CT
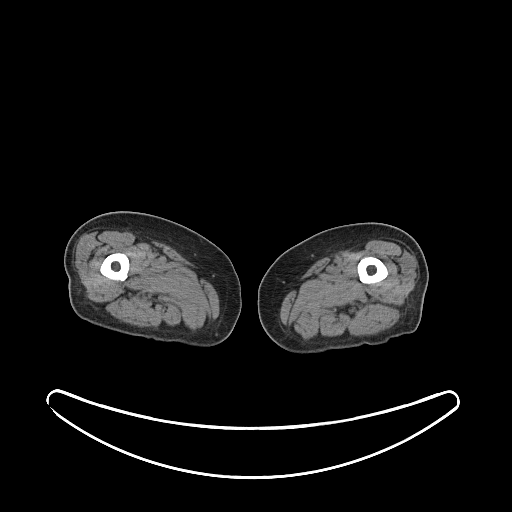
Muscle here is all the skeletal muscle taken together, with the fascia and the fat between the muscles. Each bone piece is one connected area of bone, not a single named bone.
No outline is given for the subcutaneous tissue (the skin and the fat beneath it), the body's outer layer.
Outlines (x, y in pixels):
bones 1: 365,256 374,256 380,259 384,263 384,264 387,268 387,275 385,278 384,278 382,280 378,282 376,282 375,283 372,283 371,284 366,284 360,281 359,277 358,276 358,273 357,272 357,264 360,260 360,259
bones 2: 115,252 121,252 122,253 124,253 126,254 129,260 129,269 127,273 127,277 123,281 121,281 120,280 113,280 112,279 110,279 106,277 104,275 103,275 100,272 100,266 104,258 109,254 111,254
left leg: 357,222 381,222 396,226 411,235 421,247 427,263 429,279 417,329 375,346 365,344 356,348 329,350 316,354 296,354 284,350 266,334 258,317 257,289 263,275 280,254 295,244 323,230
right leg: 115,211 144,212 175,221 201,234 226,253 234,266 241,287 241,311 233,330 226,339 207,348 193,347 177,342 155,341 92,325 76,315 68,295 68,278 64,269 63,256 65,246 72,233 82,223 97,215
muscle 1: 91,228 117,228 127,230 135,234 142,234 148,238 171,246 187,260 197,265 212,283 219,298 219,316 203,332 167,332 147,330 146,327 137,327 120,322 93,308 85,297 72,258 72,251 76,240 84,231; inner edge: 115,252 121,252 122,253 124,253 126,254 129,260 129,269 127,273 127,277 123,281 121,281 120,280 113,280 112,279 110,279 106,277 104,275 103,275 100,272 100,266 104,258 109,254 111,254
muscle 2: 375,238 402,240 415,252 420,261 421,267 419,276 417,283 410,295 404,319 400,323 375,335 353,336 341,341 305,341 285,332 278,323 279,308 281,301 297,276 322,257 342,250 346,247 364,243; inner edge: 365,256 374,256 380,259 384,263 384,264 387,268 387,275 385,278 384,278 382,280 378,282 376,282 375,283 372,283 371,284 366,284 360,281 359,277 358,276 358,273 357,272 357,264 360,260 360,259